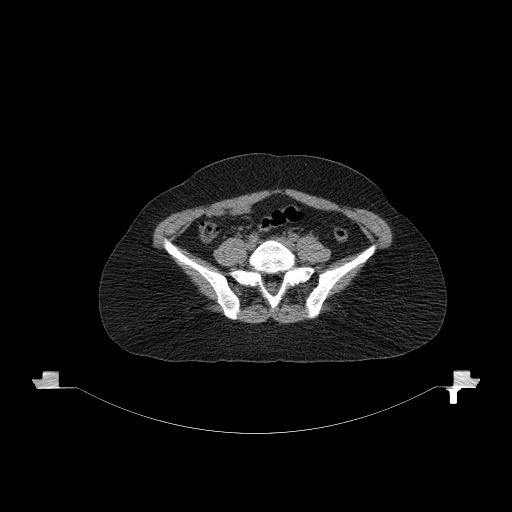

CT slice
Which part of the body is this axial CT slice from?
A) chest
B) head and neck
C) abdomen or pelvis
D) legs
Answer: C) abdomen or pelvis
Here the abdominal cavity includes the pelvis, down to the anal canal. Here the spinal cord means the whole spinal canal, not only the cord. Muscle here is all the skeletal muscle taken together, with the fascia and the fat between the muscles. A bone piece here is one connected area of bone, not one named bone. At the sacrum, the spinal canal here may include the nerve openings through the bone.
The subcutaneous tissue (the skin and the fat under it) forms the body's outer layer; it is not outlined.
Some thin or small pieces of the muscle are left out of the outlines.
{"torso":[[[251,152],[320,156],[348,165],[373,181],[389,202],[420,231],[438,258],[447,290],[446,314],[438,333],[426,344],[403,355],[342,362],[172,362],[129,353],[110,339],[98,310],[100,276],[111,251],[140,210],[156,195],[180,183],[201,167],[226,157]]],"bones":[{"outer":[[267,239],[277,240],[288,248],[295,255],[295,264],[297,266],[310,266],[314,269],[309,279],[290,286],[277,305],[272,309],[269,302],[262,296],[257,287],[243,285],[229,274],[231,271],[237,269],[250,269],[251,267],[248,262],[249,256],[257,246]],"hole":[[263,273],[265,274],[276,274],[277,273],[282,273],[283,274],[283,276],[282,277],[283,278],[282,280],[282,283],[279,289],[275,293],[273,294],[271,293],[268,290],[268,289],[265,287],[264,284],[262,282],[262,274]]},[[165,238],[167,238],[190,259],[200,265],[207,267],[212,271],[219,272],[227,278],[229,286],[239,299],[239,312],[236,319],[230,319],[224,315],[221,306],[217,302],[217,295],[214,289],[198,271],[186,264],[180,263],[176,258],[165,250],[163,246]],[[372,244],[376,245],[376,249],[374,253],[365,262],[359,264],[343,275],[329,291],[326,298],[322,303],[319,314],[314,318],[311,319],[307,318],[306,317],[307,311],[305,302],[310,292],[317,284],[319,274],[328,269],[333,269],[352,260],[363,250]]],"spinal_cord":[[[263,273],[265,274],[276,274],[277,273],[282,273],[283,274],[283,276],[282,277],[283,278],[282,280],[282,283],[279,289],[275,293],[273,294],[271,293],[268,290],[268,289],[265,287],[264,284],[262,282],[262,274]]],"abdominal_cavity":[[[274,194],[353,220],[369,243],[361,251],[326,264],[332,251],[307,234],[295,245],[301,262],[297,265],[296,255],[277,239],[263,240],[248,258],[244,241],[232,236],[212,252],[218,264],[228,267],[223,270],[176,243],[206,212],[240,209]]],"muscle":[[[275,188],[291,188],[325,198],[339,205],[372,211],[385,220],[390,227],[391,245],[378,251],[365,264],[351,284],[336,296],[339,305],[320,314],[323,303],[335,284],[351,270],[365,263],[377,249],[377,245],[370,244],[353,219],[336,210],[310,206],[283,193],[271,194],[240,208],[219,207],[206,211],[191,222],[177,237],[175,243],[226,271],[229,267],[217,262],[213,255],[214,250],[228,238],[234,237],[242,240],[250,268],[237,268],[228,274],[243,286],[257,288],[271,310],[278,305],[290,287],[306,282],[315,272],[312,266],[301,265],[302,262],[296,251],[300,238],[311,235],[331,251],[329,259],[325,262],[326,265],[359,253],[352,259],[318,274],[317,282],[304,302],[305,317],[308,319],[279,323],[270,318],[259,323],[249,323],[236,320],[240,312],[240,299],[230,286],[228,278],[219,271],[212,270],[190,258],[165,237],[162,242],[164,250],[180,264],[198,272],[213,289],[216,302],[223,315],[204,309],[205,298],[197,291],[189,277],[171,259],[152,245],[155,227],[172,213],[184,209]]]}